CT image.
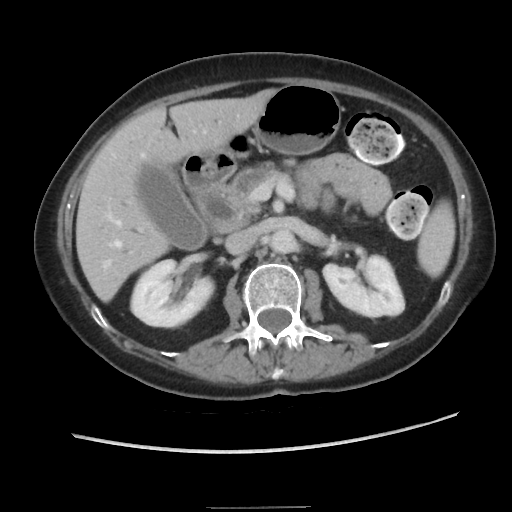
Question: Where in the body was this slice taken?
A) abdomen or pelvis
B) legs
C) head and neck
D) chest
Answer: A) abdomen or pelvis
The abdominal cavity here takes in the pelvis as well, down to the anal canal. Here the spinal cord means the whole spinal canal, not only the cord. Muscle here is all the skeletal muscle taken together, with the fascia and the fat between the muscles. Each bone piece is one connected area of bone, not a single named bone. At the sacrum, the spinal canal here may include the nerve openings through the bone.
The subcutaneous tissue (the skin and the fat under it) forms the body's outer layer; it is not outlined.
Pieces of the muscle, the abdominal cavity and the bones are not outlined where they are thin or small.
Outlined structures:
abdominal cavity: (263, 82) (389, 107) (443, 160) (457, 203) (455, 261) (406, 333) (373, 343) (325, 323) (318, 273) (303, 269) (301, 307) (294, 268) (264, 262) (248, 273) (241, 297) (242, 269) (229, 278) (222, 331) (164, 350) (115, 327) (82, 285) (73, 219) (106, 143) (157, 108)
muscle 1: (305, 268) (311, 268) (319, 277) (323, 322) (339, 324) (347, 332) (364, 334) (372, 343) (369, 346) (374, 349) (388, 346) (390, 340) (413, 329) (437, 300) (441, 307) (449, 299) (439, 315) (413, 341) (341, 375) (305, 382) (269, 379) (251, 385) (224, 386) (169, 370) (127, 353) (118, 348) (99, 327) (110, 330) (107, 320) (127, 336) (159, 350) (161, 355) (177, 357) (179, 352) (219, 334) (228, 326) (230, 319) (223, 305) (223, 297) (230, 278) (241, 269) (236, 286) (246, 308) (248, 322) (242, 329) (224, 336) (221, 340) (224, 343) (244, 339) (248, 354) (253, 356) (263, 347) (264, 339) (274, 348) (282, 340) (289, 349) (296, 350) (303, 348) (305, 337) (331, 342) (331, 334) (306, 324) (301, 318) (305, 302), around a hole outlined by (276, 367) (278, 367) (279, 368) (281, 368) (283, 370) (283, 372) (281, 374) (281, 375) (277, 379) (273, 379) (271, 377) (271, 374) (272, 373) (272, 372) (274, 370) (274, 369)
muscle 2: (283, 76) (324, 79) (378, 93) (420, 114) (446, 138) (463, 169) (469, 187) (474, 223) (468, 258) (451, 296) (452, 285) (447, 277) (456, 261) (458, 250) (457, 195) (446, 164) (430, 139) (404, 114) (377, 101) (307, 84) (263, 81) (232, 86) (152, 109) (125, 124) (96, 154) (78, 191) (71, 227) (75, 272) (94, 302) (90, 306) (91, 317) (68, 280) (56, 242) (57, 214) (62, 194) (84, 154) (101, 135) (131, 111) (158, 97) (226, 81)
spinal cord: (269, 309) (283, 309) (287, 311) (290, 314) (290, 316) (291, 317) (291, 320) (290, 322) (284, 328) (280, 330) (276, 334) (273, 334) (270, 331) (269, 331) (267, 329) (263, 327) (259, 323) (258, 321) (258, 316) (259, 314) (261, 312) (265, 310) (268, 310)
bones 1: (264, 263) (282, 263) (293, 268) (302, 287) (300, 318) (306, 325) (331, 335) (331, 341) (305, 336) (302, 348) (296, 349) (289, 348) (282, 339) (274, 347) (264, 338) (262, 347) (250, 355) (244, 338) (228, 342) (222, 340) (248, 324) (249, 315) (242, 289) (249, 273), around a hole outlined by (269, 309) (283, 309) (287, 311) (290, 314) (290, 316) (291, 317) (291, 320) (290, 322) (284, 328) (280, 330) (276, 334) (273, 334) (270, 331) (269, 331) (267, 329) (263, 327) (259, 323) (258, 321) (258, 316) (259, 314) (261, 312) (265, 310) (268, 310)
bones 2: (93, 303) (94, 303) (99, 308) (99, 309) (100, 310) (102, 315) (104, 317) (104, 318) (106, 320) (106, 321) (109, 324) (109, 325) (110, 326) (110, 329) (105, 329) (104, 328) (99, 326) (95, 322) (95, 321) (93, 319) (93, 318) (91, 315) (91, 306)
torso: (248, 51) (343, 59) (403, 85) (449, 124) (485, 183) (496, 233) (489, 279) (437, 346) (388, 379) (339, 392) (276, 394) (239, 401) (160, 391) (118, 371) (87, 347) (58, 315) (40, 281) (33, 251) (37, 212) (51, 179) (89, 125) (130, 87) (159, 70) (198, 57)